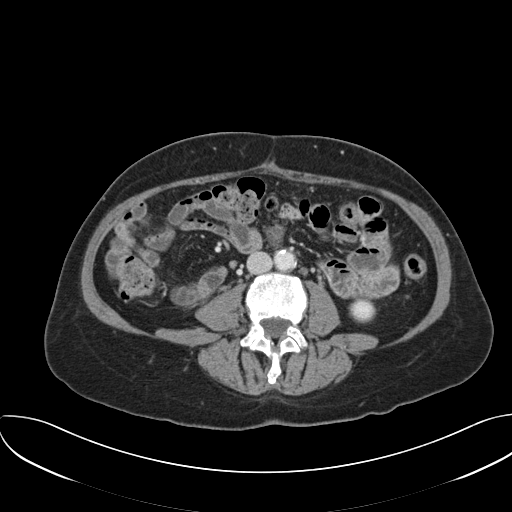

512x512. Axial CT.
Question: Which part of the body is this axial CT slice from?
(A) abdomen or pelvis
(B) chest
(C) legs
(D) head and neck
Answer: (A) abdomen or pelvis
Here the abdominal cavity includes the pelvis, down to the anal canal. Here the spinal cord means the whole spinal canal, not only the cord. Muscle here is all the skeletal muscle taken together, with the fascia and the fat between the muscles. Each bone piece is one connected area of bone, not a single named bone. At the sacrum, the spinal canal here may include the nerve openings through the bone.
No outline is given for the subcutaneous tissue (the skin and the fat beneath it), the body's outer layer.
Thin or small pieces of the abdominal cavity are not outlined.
{"abdominal_cavity":[[[251,172],[366,190],[397,204],[433,254],[436,287],[425,315],[384,342],[333,332],[340,315],[322,283],[271,271],[253,278],[244,299],[246,285],[238,283],[202,303],[194,317],[206,327],[149,331],[130,323],[94,282],[105,236],[128,209],[159,192]]],"torso":[[[225,131],[346,140],[386,156],[417,179],[451,221],[490,309],[494,333],[482,366],[456,386],[384,414],[313,426],[272,424],[246,430],[186,427],[130,415],[79,396],[55,377],[44,356],[44,327],[64,258],[90,210],[113,180],[146,154],[184,138]]],"spinal_cord":[[[277,317],[289,321],[289,325],[286,328],[286,329],[285,330],[285,331],[283,334],[284,335],[281,335],[279,337],[278,337],[277,338],[272,338],[269,335],[266,335],[265,334],[265,330],[261,324],[261,321],[264,319],[268,319],[269,318],[276,318]]],"muscle":[{"outer":[[264,162],[270,164],[271,163],[275,164],[277,166],[285,169],[292,169],[293,170],[304,171],[305,172],[315,173],[321,175],[327,175],[328,176],[350,179],[358,182],[381,187],[396,194],[398,194],[420,206],[433,218],[434,221],[441,230],[449,250],[451,268],[452,269],[452,278],[450,286],[450,299],[449,303],[444,310],[442,315],[426,329],[406,341],[383,349],[374,349],[366,351],[364,354],[361,355],[358,358],[356,363],[353,365],[351,372],[343,380],[334,386],[322,392],[306,397],[288,398],[282,395],[278,391],[273,389],[256,397],[242,397],[228,392],[214,382],[202,370],[197,363],[193,350],[189,346],[174,343],[163,339],[152,338],[144,335],[139,335],[138,334],[126,332],[123,330],[117,329],[112,326],[110,326],[99,320],[89,310],[82,296],[80,276],[81,275],[81,268],[83,263],[84,254],[88,242],[93,234],[93,232],[101,219],[111,208],[118,203],[135,194],[161,184],[168,183],[175,180],[179,180],[200,175],[225,172],[226,171],[236,171],[240,169],[247,169]],"hole":[[251,172],[397,204],[433,254],[436,287],[425,315],[384,342],[333,332],[341,322],[334,300],[306,279],[298,326],[307,346],[282,355],[273,384],[271,360],[240,344],[250,324],[244,283],[194,311],[206,327],[130,323],[94,282],[105,236],[159,192]]}],"bones":[{"outer":[[271,272],[297,276],[307,293],[307,307],[298,324],[307,341],[307,346],[299,352],[290,351],[282,355],[279,361],[281,372],[273,384],[267,380],[271,360],[263,352],[240,344],[240,340],[248,331],[250,324],[248,309],[244,302],[247,289],[255,277]],"hole":[[277,317],[289,321],[289,325],[286,328],[286,329],[285,330],[285,331],[283,334],[284,335],[281,335],[279,337],[278,337],[277,338],[272,338],[269,335],[266,335],[265,334],[265,330],[261,324],[261,321],[264,319],[268,319],[269,318],[276,318]]}]}